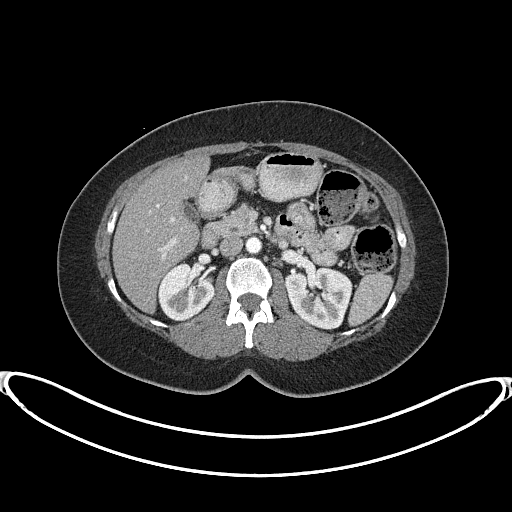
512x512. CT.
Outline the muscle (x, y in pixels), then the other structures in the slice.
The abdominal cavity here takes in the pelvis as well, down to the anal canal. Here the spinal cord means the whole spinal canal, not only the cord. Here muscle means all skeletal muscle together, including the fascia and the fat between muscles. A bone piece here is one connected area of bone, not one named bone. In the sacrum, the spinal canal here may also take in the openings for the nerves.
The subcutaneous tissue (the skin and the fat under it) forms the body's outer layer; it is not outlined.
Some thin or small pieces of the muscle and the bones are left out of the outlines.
Outlines (x, y in pixels):
muscle: 291,362 294,362 295,361 304,361 305,360 312,359 319,356 323,353 332,352 334,350 336,350 351,343 361,341 375,335 381,331 384,327 387,320 392,314 393,310 400,302 403,294 408,289 410,285 410,282 414,275 416,248 414,242 414,236 410,227 410,223 405,210 405,205 403,203 402,199 396,189 380,175 367,167 353,162 348,158 327,149 315,145 311,145 310,144 306,144 300,142 232,142 231,143 219,143 218,144 211,144 210,145 199,146 160,159 142,168 124,180 119,185 113,195 110,198 103,212 95,236 94,249 96,256 97,268 99,271 100,276 104,282 104,285 111,298 116,302 117,305 121,309 126,317 136,325 147,329 152,332 154,332 167,341 173,343 183,351 188,353 190,355 199,357 203,359 216,360 220,358 225,358 243,351 253,350 267,356 270,356, around a hole outlined by 248,348 253,346 255,324 274,319 267,297 273,267 284,277 290,309 318,329 349,335 392,308 400,249 406,247 406,237 379,193 357,172 278,147 256,147 178,162 144,183 119,212 117,205 114,207 106,227 112,235 113,273 107,285 114,297 121,303 123,298 149,316 151,323 166,328 207,307 215,293 217,273 226,267 231,298 225,322 244,325
spinal cord: 246,311 255,311 256,310 257,310 259,308 258,305 259,304 259,301 260,300 260,298 256,294 253,294 252,293 246,293 245,294 243,294 242,295 241,295 239,297 238,300 241,303 241,308 242,309 243,309
torso: 292,397 327,395 375,381 400,366 427,340 441,315 448,284 449,252 439,210 416,171 383,136 327,106 262,100 202,110 164,123 102,165 69,206 56,259 66,316 94,355 135,379 184,393 211,394 250,375
bones 1: 248,348 253,346 252,332 255,324 260,321 273,322 274,319 267,297 272,283 271,275 266,266 259,259 254,257 242,257 232,262 228,268 225,281 231,297 225,322 227,325 238,322 244,325 246,331 245,346 with a hole at 246,311 255,311 256,310 257,310 259,308 258,305 259,304 259,301 260,300 260,298 256,294 253,294 252,293 246,293 245,294 243,294 242,295 241,295 239,297 238,300 241,303 241,308 242,309 243,309
bones 2: 108,234 111,234 113,231 113,228 115,224 115,221 116,220 116,218 118,214 118,208 117,207 117,205 116,205 114,207 110,215 110,217 107,222 107,226 106,227 106,232
bones 3: 402,249 404,249 406,247 406,237 405,236 405,234 403,232 403,231 402,230 399,223 398,222 395,221 394,222 394,223 395,224 395,228 396,229 396,233 397,234 397,237 398,238 398,241 399,242 399,244
bones 4: 380,318 382,318 383,317 384,317 387,314 387,313 392,308 392,307 396,300 396,294 395,293 395,291 393,291 391,293 391,294 390,295 390,297 388,300 388,302 387,303 386,306 384,308 384,309 380,314
bones 5: 121,303 122,303 123,302 123,301 117,291 117,289 115,286 115,283 114,282 114,280 113,279 113,278 112,277 110,277 107,282 107,285 108,286 108,287 109,288 110,291 114,296 114,297 119,302 120,302
abdominal cavity: 329,332 360,327 379,314 399,268 393,221 379,193 352,169 273,146 204,156 161,170 119,212 110,263 120,295 138,311 168,324 186,321 211,301 220,269 238,257 254,256 269,270 274,267 282,273 290,309